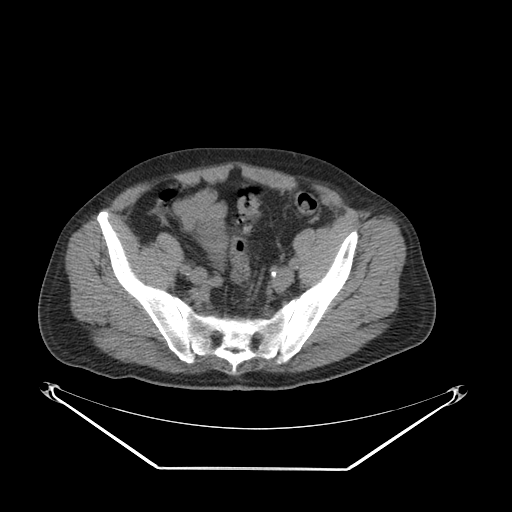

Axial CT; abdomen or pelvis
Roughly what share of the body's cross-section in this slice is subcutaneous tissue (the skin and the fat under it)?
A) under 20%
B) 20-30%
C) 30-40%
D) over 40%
B) 20-30%
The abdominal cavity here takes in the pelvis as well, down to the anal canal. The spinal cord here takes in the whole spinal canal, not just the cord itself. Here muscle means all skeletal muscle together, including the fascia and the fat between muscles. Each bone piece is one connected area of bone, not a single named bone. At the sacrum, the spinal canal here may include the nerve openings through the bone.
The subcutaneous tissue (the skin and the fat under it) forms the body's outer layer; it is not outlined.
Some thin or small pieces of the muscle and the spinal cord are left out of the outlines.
{"torso":[[[194,146],[269,146],[311,154],[335,164],[397,206],[416,230],[434,289],[436,316],[428,337],[417,346],[354,372],[327,381],[282,390],[168,387],[132,377],[114,379],[57,360],[41,338],[37,303],[49,258],[62,227],[84,203],[132,165],[163,152]]],"spinal_cord":[[[215,332],[218,332],[219,333],[220,333],[221,334],[221,335],[222,336],[222,339],[221,340],[221,341],[220,342],[219,342],[218,343],[215,343],[214,342],[213,342],[212,341],[212,340],[211,339],[211,336],[212,335],[212,334],[213,333],[214,333]],[[256,333],[259,333],[260,334],[261,334],[262,335],[262,336],[263,337],[263,340],[262,341],[262,342],[261,343],[260,343],[259,344],[256,344],[255,343],[254,343],[253,342],[253,341],[252,340],[252,337],[253,336],[253,335],[254,334],[255,334]]],"muscle":[[[234,161],[324,181],[338,188],[352,207],[390,216],[397,223],[406,257],[399,277],[398,307],[390,325],[350,355],[294,373],[251,371],[235,376],[213,369],[172,373],[102,352],[71,313],[64,262],[69,238],[97,212],[95,219],[114,276],[181,361],[192,364],[196,356],[212,355],[227,361],[234,375],[238,365],[253,358],[286,363],[313,333],[350,275],[359,239],[353,229],[323,276],[302,290],[294,239],[303,230],[329,225],[337,217],[316,191],[303,185],[274,188],[244,177],[239,167],[232,168],[223,181],[186,185],[170,178],[156,183],[135,201],[128,219],[142,245],[162,232],[179,244],[182,261],[171,293],[135,274],[109,220],[110,213],[100,210],[144,180]]],"abdominal_cavity":[[[234,168],[239,168],[244,178],[274,189],[308,188],[336,216],[329,224],[305,228],[295,236],[292,245],[303,291],[267,318],[195,311],[172,294],[183,261],[176,238],[162,231],[142,244],[129,219],[136,201],[160,182],[174,179],[186,186],[223,182]]],"bones":[{"outer":[[102,210],[109,213],[108,220],[134,274],[205,316],[270,318],[324,276],[353,230],[358,239],[347,279],[300,350],[280,364],[275,357],[244,360],[232,374],[232,366],[221,357],[196,355],[194,362],[187,363],[168,347],[142,305],[114,274],[96,219]],"holes":[[[256,333],[259,333],[260,334],[261,334],[262,335],[262,336],[263,337],[263,340],[262,341],[262,342],[261,343],[260,343],[259,344],[256,344],[255,343],[254,343],[253,342],[253,341],[252,340],[252,337],[253,336],[253,335],[254,334],[255,334]],[[215,332],[218,332],[219,333],[220,333],[221,334],[221,335],[222,336],[222,339],[221,340],[221,341],[220,342],[219,342],[218,343],[215,343],[214,342],[213,342],[212,341],[212,340],[211,339],[211,336],[212,335],[212,334],[213,333],[214,333]],[[228,348],[235,348],[236,349],[239,349],[240,350],[243,350],[242,350],[241,351],[239,351],[238,352],[233,352],[232,351],[231,351],[230,350],[229,350],[228,349],[227,349]]]}]}